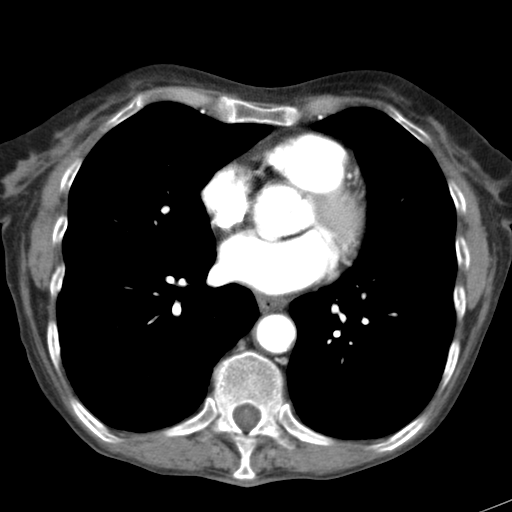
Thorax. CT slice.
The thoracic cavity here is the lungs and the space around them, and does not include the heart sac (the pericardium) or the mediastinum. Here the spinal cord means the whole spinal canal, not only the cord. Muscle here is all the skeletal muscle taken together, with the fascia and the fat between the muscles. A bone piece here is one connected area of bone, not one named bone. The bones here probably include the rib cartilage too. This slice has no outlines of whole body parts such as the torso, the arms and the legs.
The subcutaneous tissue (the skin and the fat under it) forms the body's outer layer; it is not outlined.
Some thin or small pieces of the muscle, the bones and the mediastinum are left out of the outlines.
{"bones":[{"outer":[[249,350],[280,370],[284,397],[294,416],[335,442],[320,445],[294,437],[295,448],[290,450],[269,436],[258,435],[249,459],[255,477],[236,479],[232,475],[241,456],[229,433],[200,440],[200,432],[166,436],[161,431],[202,408],[220,361]],"hole":[[244,404],[249,404],[253,406],[259,411],[259,413],[260,414],[260,417],[258,421],[256,423],[256,424],[248,431],[244,431],[236,423],[233,417],[233,413],[234,412],[234,410],[238,406],[240,406]]},[[176,88],[191,89],[204,93],[213,99],[220,95],[226,95],[262,107],[297,106],[303,110],[303,116],[299,122],[290,126],[259,122],[225,122],[216,117],[211,104],[200,109],[179,101],[160,99],[148,103],[103,133],[104,123],[125,107],[138,93]],[[71,396],[73,396],[78,399],[78,400],[84,406],[84,407],[92,415],[93,415],[98,420],[103,423],[112,433],[121,438],[122,440],[121,441],[115,442],[114,443],[107,442],[101,439],[90,429],[89,429],[79,419],[74,412],[69,401],[69,399]],[[421,414],[426,414],[427,415],[427,418],[424,424],[413,436],[405,441],[402,444],[397,446],[391,450],[387,450],[381,452],[378,452],[372,449],[368,449],[367,448],[369,445],[375,443],[378,443],[381,441],[385,440],[388,437],[403,428]],[[49,320],[55,320],[56,321],[57,332],[58,333],[58,339],[59,340],[59,346],[60,347],[60,358],[61,359],[61,363],[59,368],[60,373],[56,370],[54,365],[52,363],[52,360],[48,351],[48,347],[46,341],[46,328],[47,327],[47,323]],[[455,338],[459,341],[459,343],[460,344],[460,351],[459,352],[459,355],[457,359],[456,366],[454,368],[453,372],[449,380],[447,382],[444,388],[441,390],[440,389],[440,381],[445,367],[445,364],[446,363],[446,360],[448,355],[448,351],[452,340]],[[389,107],[392,107],[397,110],[406,119],[409,120],[412,123],[427,133],[430,138],[430,141],[426,145],[424,144],[414,135],[413,135],[409,131],[408,131],[404,127],[403,127],[399,123],[398,123],[394,119],[388,115],[388,114],[386,113]],[[78,157],[80,157],[81,158],[82,158],[82,162],[81,163],[81,164],[73,179],[73,181],[69,188],[69,190],[67,193],[66,193],[63,191],[62,192],[61,192],[60,191],[60,182],[61,181],[61,178],[62,177],[66,168],[76,158],[77,158]],[[449,179],[452,179],[456,183],[456,184],[461,190],[464,196],[464,198],[465,199],[465,206],[466,207],[466,210],[464,214],[458,214],[456,211],[455,205],[454,204],[453,199],[450,194],[449,188],[448,187],[448,184],[447,183],[447,181]],[[62,261],[64,262],[64,275],[63,276],[63,280],[62,281],[62,284],[61,285],[61,289],[59,291],[56,299],[55,300],[53,300],[51,297],[51,294],[50,293],[50,288],[49,287],[50,285],[50,280],[51,279],[51,276],[56,266],[58,265]]],"muscle":[[[158,86],[191,86],[225,90],[240,98],[226,94],[213,98],[204,92],[187,87],[157,88],[140,91],[103,123],[103,134],[85,157],[76,157],[65,168],[60,178],[59,191],[68,193],[67,212],[56,218],[51,231],[52,244],[61,244],[63,260],[55,266],[49,280],[56,320],[47,321],[45,341],[51,363],[59,374],[61,364],[63,366],[77,397],[71,395],[68,399],[73,412],[101,440],[112,444],[123,440],[109,428],[138,433],[162,429],[160,433],[166,437],[200,433],[197,437],[200,441],[214,434],[226,433],[240,456],[232,477],[204,469],[160,468],[101,446],[66,410],[40,363],[20,294],[22,235],[27,236],[30,231],[42,188],[50,172],[88,134],[99,118],[115,112],[135,92]],[[417,125],[433,135],[471,187],[477,199],[489,246],[495,246],[496,266],[491,300],[473,350],[438,416],[424,432],[400,449],[331,473],[284,470],[254,479],[256,473],[250,459],[259,441],[258,436],[269,437],[290,451],[296,448],[294,438],[320,446],[333,445],[336,442],[334,438],[385,438],[369,444],[366,448],[378,453],[395,449],[423,427],[428,415],[421,413],[422,411],[439,384],[441,391],[445,388],[457,366],[461,344],[453,336],[456,319],[460,321],[466,311],[466,291],[455,280],[458,268],[465,271],[469,268],[470,251],[465,237],[456,234],[456,229],[457,214],[466,213],[466,199],[457,183],[452,178],[446,179],[427,146],[431,141],[429,134]],[[320,94],[331,94],[340,96],[360,96],[361,97],[379,99],[392,105],[394,107],[389,106],[386,112],[368,105],[350,105],[342,108],[342,100],[340,98],[337,97],[323,97],[313,99],[307,102],[305,105],[305,110],[307,112],[309,118],[302,119],[304,116],[304,110],[297,105],[281,104],[273,106],[262,106],[248,101],[260,102],[261,103],[281,104],[288,101],[291,101],[295,98],[300,98],[309,95],[319,95]]],"mediastinum":[[[234,282],[242,284],[257,293],[276,298],[293,298],[310,292],[293,299],[289,305],[289,314],[295,324],[297,337],[287,364],[285,379],[281,370],[269,358],[253,350],[249,349],[233,353],[220,360],[225,353],[251,329],[259,315],[258,306],[251,290]],[[311,114],[320,114],[323,117],[319,119],[313,126],[315,129],[321,131],[306,128],[277,131],[268,135],[256,143],[266,136],[272,130],[273,128],[272,125],[284,126],[285,127],[294,126],[302,120],[309,119],[310,118],[309,116]]],"thoracic_cavity":[[[160,100],[204,108],[225,123],[272,128],[215,171],[199,192],[215,240],[214,265],[228,282],[250,290],[258,315],[213,367],[211,392],[197,412],[172,425],[138,432],[108,427],[79,400],[62,364],[56,300],[65,275],[68,196],[83,160],[104,134]],[[350,106],[384,112],[425,145],[446,180],[456,212],[452,292],[456,318],[441,377],[421,412],[386,438],[343,439],[316,431],[295,416],[285,397],[287,368],[298,337],[290,305],[335,282],[356,260],[366,232],[367,186],[354,150],[342,137],[314,126]]],"pericardium":[[[300,129],[314,130],[333,136],[351,148],[366,186],[366,227],[355,260],[335,281],[318,289],[307,291],[293,297],[276,297],[257,292],[242,283],[230,279],[215,265],[217,255],[216,240],[200,193],[215,172],[234,158],[250,150],[260,141],[277,132]]],"spinal_cord":[[[244,404],[249,404],[253,406],[259,411],[259,413],[260,414],[260,417],[258,421],[256,423],[256,424],[248,431],[244,431],[236,423],[233,417],[233,413],[234,412],[234,410],[238,406],[240,406]]]}